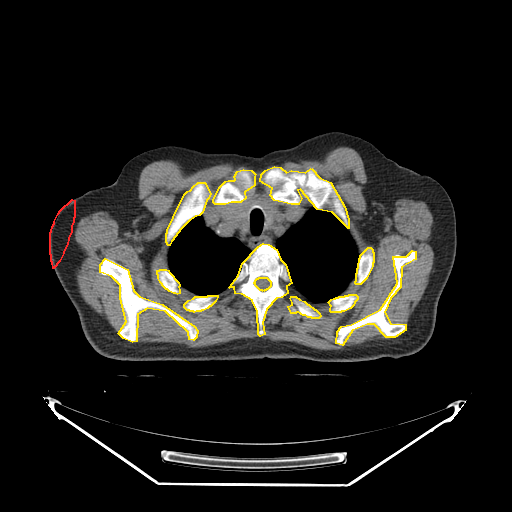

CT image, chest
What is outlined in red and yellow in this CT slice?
red: right arm; yellow: bones.
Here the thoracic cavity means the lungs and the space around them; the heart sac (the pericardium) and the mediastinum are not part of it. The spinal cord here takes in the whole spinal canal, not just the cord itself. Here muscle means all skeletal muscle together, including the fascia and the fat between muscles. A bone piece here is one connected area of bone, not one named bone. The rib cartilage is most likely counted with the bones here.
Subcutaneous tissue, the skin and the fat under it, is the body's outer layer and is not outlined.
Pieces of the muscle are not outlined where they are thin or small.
Outlines:
right arm: 72,199 74,200 74,217 73,218 73,221 71,226 71,231 68,238 67,244 63,251 63,253 59,261 53,268 52,262 51,261 51,255 50,254 50,232 51,231 52,226 54,223 54,221 58,213 60,210
bones 1: 263,243 268,244 276,249 280,259 285,264 291,283 286,286 287,293 281,297 276,298 266,309 262,322 264,334 260,336 258,334 257,311 252,300 242,294 235,293 234,287 229,287 238,275 242,263 258,246, around a hole outlined by 259,277 266,277 270,281 270,286 267,289 266,289 265,290 264,290 263,291 262,290 260,290 255,285 255,284 254,283 254,282 255,281 255,280 257,278 258,278
bones 2: 274,166 280,167 286,172 291,170 305,172 311,168 319,177 330,182 344,206 348,219 348,228 332,212 317,209 300,189 297,190 301,198 298,204 291,204 274,200 270,195 272,188 260,181 261,174 265,170
bones 3: 105,258 127,269 133,290 139,296 162,304 194,326 197,330 196,337 193,340 189,339 188,332 165,311 147,308 137,314 136,341 132,342 123,338 118,333 126,321 120,298 120,285 111,276 100,272 100,264
bones 4: 412,250 415,251 415,259 401,267 400,287 390,298 384,312 390,323 405,324 405,330 394,337 386,337 374,324 367,324 352,330 342,345 336,343 337,331 341,326 351,324 380,309 397,283 393,256 406,256
bones 5: 198,182 204,182 210,193 208,198 206,200 202,212 199,215 195,216 189,220 181,228 171,241 169,245 168,245 166,242 166,233 167,232 167,229 173,218 173,216 185,193 187,191 190,190 193,186
bones 6: 243,169 251,170 255,174 254,176 254,185 244,192 245,198 240,202 231,202 225,204 215,204 213,202 213,200 219,187 225,181 228,180 234,180 235,179 234,176 237,171
bones 7: 368,247 370,247 372,249 372,251 373,252 373,262 372,263 372,266 366,278 360,284 356,284 355,283 355,281 356,280 356,273 357,272 357,268 358,267 359,258 360,257 360,255
bones 8: 208,295 217,295 217,297 215,301 210,306 209,306 207,308 203,310 201,310 200,311 196,311 194,312 193,311 190,311 189,310 187,310 184,307 184,304 188,300 193,298 195,296 207,296
bones 9: 291,296 295,296 299,299 304,301 307,304 308,304 314,309 315,309 319,313 320,316 318,318 312,318 311,317 308,317 305,315 303,315 298,312 296,312 295,313 291,313 288,306 292,304 292,302 290,298
bones 10: 349,294 355,294 357,296 357,299 354,302 353,305 350,308 344,311 341,311 340,312 331,312 330,311 330,308 331,306 328,302 331,299 333,298 335,298 336,297 338,297 339,296 344,296 345,295 348,295
bones 11: 160,269 166,269 168,270 169,272 178,282 179,284 179,286 178,287 179,289 179,293 177,294 175,293 173,293 169,291 167,289 166,289 162,285 162,284 160,282 158,278 158,275 157,274 157,270 159,270
spinal cord: 259,277 266,277 270,281 270,286 267,289 266,289 265,290 264,290 263,291 262,290 260,290 255,285 255,284 254,283 254,282 255,281 255,280 257,278 258,278
thoracic cavity 1: 313,206 319,211 327,211 332,213 341,221 342,224 348,229 359,254 355,277 351,280 341,295 333,297 325,302 309,301 295,288 292,284 286,264 281,259 281,256 275,247 277,240 282,237 292,226 299,222
thoracic cavity 2: 201,214 204,221 204,224 217,236 221,238 235,238 246,246 251,251 241,263 241,266 237,275 232,280 229,286 226,289 217,294 196,295 193,292 180,285 179,282 169,270 168,251 170,244 182,228 189,221
muscle 1: 338,146 353,148 362,159 367,176 364,190 367,203 365,230 370,239 374,240 380,235 397,199 405,196 418,197 433,211 433,270 421,299 410,315 407,329 403,322 390,322 385,312 391,298 401,287 402,267 416,259 416,251 412,249 406,255 395,253 392,256 396,283 379,309 351,323 341,325 336,331 334,341 341,346 352,331 367,325 374,325 386,338 393,338 342,349 318,349 292,341 271,341 262,337 241,338 202,347 188,347 171,342 136,342 137,317 139,312 147,309 165,312 187,332 191,341 197,337 198,330 181,314 175,313 162,303 139,295 134,290 128,269 108,257 101,260 98,270 119,285 119,298 125,315 125,321 117,331 121,337 81,297 74,278 77,256 74,240 76,224 82,217 93,212 107,211 125,232 149,229 154,219 138,198 138,179 147,164 169,159 176,161 186,173 223,163 266,167 287,160 313,160; inner edges: 274,166 286,172 311,168 330,182 358,253 370,247 373,262 366,278 356,284 355,277 341,294 357,296 344,311 331,312 327,301 309,301 288,284 266,309 260,336 252,300 234,287 194,312 184,304 196,295 181,285 179,293 169,291 157,270 169,269 166,233 187,191 205,183 205,211 219,187 247,169 254,185 243,201 272,201 272,188 260,176, then 291,296 295,296 299,299 304,301 307,304 308,304 314,309 315,309 319,313 320,316 318,318 312,318 311,317 308,317 305,315 303,315 298,312 296,312 295,313 291,313 288,306 292,304 292,302 290,298, then 156,241 157,241 157,245 156,246 156,248 155,249 155,250 151,255 151,256 148,261 148,266 148,265 146,262 146,259 145,258 145,256 146,255 146,251 147,250 147,247 148,246 148,244 153,243
muscle 2: 298,190 300,190 301,191 301,192 306,197 307,197 309,199 309,200 311,203 310,203 307,201 301,201 302,200 302,198 301,197 301,196 300,195 300,194 299,193 299,192 298,191
torso: 329,131 342,131 371,142 398,164 435,179 452,201 456,254 438,301 433,333 423,348 399,358 349,362 268,357 131,361 103,356 90,345 54,271 72,231 75,197 111,184 128,160 159,146 257,157
mediastinum: 257,198 264,198 270,201 279,201 291,205 298,205 301,202 307,202 312,205 299,221 292,225 282,236 276,240 274,247 263,242 252,251 237,238 221,237 205,224 202,213 210,205 233,205 243,201 248,202